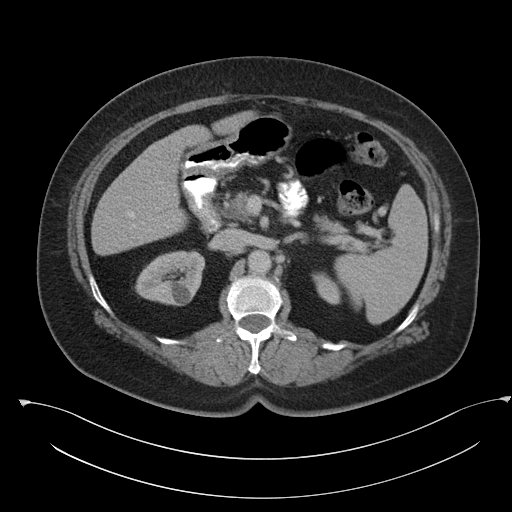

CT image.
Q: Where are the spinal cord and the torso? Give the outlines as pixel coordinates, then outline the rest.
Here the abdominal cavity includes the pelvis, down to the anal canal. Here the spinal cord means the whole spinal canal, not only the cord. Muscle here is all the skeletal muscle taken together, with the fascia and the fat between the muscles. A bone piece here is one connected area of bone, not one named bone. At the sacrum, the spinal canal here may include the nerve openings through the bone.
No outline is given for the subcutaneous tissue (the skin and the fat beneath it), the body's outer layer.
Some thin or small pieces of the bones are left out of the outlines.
A: {"spinal_cord":[[[257,314],[258,315],[263,315],[265,316],[268,319],[268,324],[267,326],[266,326],[264,328],[261,329],[257,332],[252,332],[244,328],[241,325],[241,323],[240,322],[241,320],[244,317],[248,315],[256,315]]],"torso":[[[243,55],[311,59],[367,76],[419,106],[455,147],[478,206],[478,294],[467,346],[440,378],[329,415],[284,416],[257,403],[238,416],[205,417],[144,402],[86,376],[54,341],[38,299],[36,246],[43,199],[63,151],[103,104],[131,85],[178,66]]],"abdominal_cavity":[[[268,98],[378,129],[415,168],[430,215],[431,259],[407,315],[368,343],[327,339],[288,319],[292,306],[285,289],[268,277],[245,274],[221,290],[221,319],[191,335],[154,335],[124,322],[103,296],[86,249],[85,218],[100,174],[134,137],[164,118]]],"muscle":[[[229,94],[292,95],[349,107],[397,129],[429,159],[448,196],[452,233],[445,277],[427,308],[429,334],[424,339],[387,353],[334,380],[314,385],[281,386],[257,374],[261,370],[258,356],[262,342],[272,335],[292,342],[298,338],[293,331],[279,326],[275,319],[283,303],[283,289],[289,297],[291,307],[287,319],[292,324],[321,338],[338,342],[324,341],[320,346],[325,350],[338,351],[349,343],[368,344],[392,331],[393,334],[402,331],[420,309],[416,301],[432,259],[433,230],[436,234],[440,230],[437,212],[432,215],[432,228],[425,186],[416,168],[385,132],[350,116],[273,97],[214,104],[173,114],[142,130],[111,158],[99,174],[83,226],[91,271],[87,273],[87,279],[93,298],[110,315],[114,314],[129,326],[153,335],[161,344],[181,345],[184,341],[179,339],[219,322],[222,314],[218,301],[222,290],[228,286],[225,301],[234,321],[233,332],[250,346],[247,370],[253,374],[232,386],[200,384],[95,324],[88,296],[73,273],[66,247],[67,203],[78,177],[112,138],[136,122],[184,102]]],"bones":[{"outer":[[245,275],[268,278],[275,284],[282,299],[281,306],[275,315],[275,322],[279,327],[293,332],[297,338],[292,341],[272,334],[262,341],[257,356],[260,370],[256,374],[248,370],[251,360],[251,346],[234,332],[235,321],[226,301],[230,283],[235,278]],"hole":[[257,314],[258,315],[263,315],[265,316],[268,319],[268,324],[267,326],[266,326],[264,328],[261,329],[257,332],[252,332],[244,328],[241,325],[241,323],[240,322],[241,320],[244,317],[248,315],[256,315]]},[[89,272],[91,272],[91,273],[93,275],[93,277],[99,288],[99,290],[102,296],[110,307],[111,310],[113,312],[113,314],[110,314],[101,305],[100,305],[94,298],[92,291],[91,290],[91,287],[89,283],[89,280],[88,279],[88,273]],[[415,303],[418,303],[419,304],[419,309],[417,312],[417,314],[415,316],[415,317],[413,319],[413,320],[407,326],[406,326],[399,332],[398,332],[397,333],[393,333],[393,331],[404,320],[404,319],[408,315],[410,310],[413,307],[413,306]],[[327,341],[328,342],[332,342],[333,343],[338,343],[339,342],[346,342],[347,343],[348,343],[345,347],[344,347],[341,349],[339,349],[338,350],[330,350],[329,349],[325,349],[321,346],[321,344],[322,344],[324,342],[326,342]],[[155,335],[156,335],[157,336],[161,336],[162,337],[165,337],[166,338],[171,338],[172,339],[177,339],[178,340],[181,340],[182,341],[183,341],[183,343],[182,343],[181,344],[165,344],[164,343],[161,343],[159,341],[158,341],[155,338]]]}